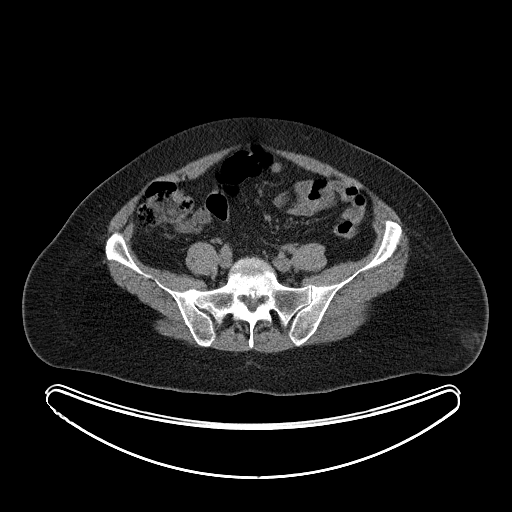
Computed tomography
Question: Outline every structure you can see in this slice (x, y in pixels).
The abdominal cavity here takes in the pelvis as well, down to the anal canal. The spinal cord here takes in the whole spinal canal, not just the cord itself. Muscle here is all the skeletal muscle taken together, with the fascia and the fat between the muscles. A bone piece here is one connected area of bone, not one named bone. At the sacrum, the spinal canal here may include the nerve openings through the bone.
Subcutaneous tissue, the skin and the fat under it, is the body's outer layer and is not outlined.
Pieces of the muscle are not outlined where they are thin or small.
Answer: Outlines (x, y in pixels):
spinal cord: (241, 296) (245, 296) (247, 298) (250, 298) (251, 299) (258, 299) (259, 298) (261, 298) (263, 296) (265, 296) (266, 297) (266, 299) (265, 300) (264, 300) (263, 301) (258, 303) (254, 310) (250, 310) (249, 309) (249, 308) (248, 307) (246, 302) (240, 298) (240, 297)
abdominal cavity: (249, 144) (367, 191) (375, 232) (368, 253) (326, 267) (323, 244) (300, 244) (291, 263) (316, 273) (305, 276) (301, 286) (280, 282) (263, 258) (244, 256) (233, 262) (225, 283) (211, 289) (199, 278) (140, 260) (132, 246) (132, 214) (142, 192) (154, 182) (197, 178) with a hole at (200, 241) (202, 242) (206, 242) (210, 244) (214, 248) (217, 254) (217, 269) (216, 271) (212, 274) (209, 274) (208, 275) (205, 275) (204, 274) (196, 275) (194, 274) (187, 267) (186, 265) (185, 258) (186, 257) (187, 251) (189, 247) (192, 244) (196, 242) (199, 242)
torso: (237, 116) (283, 118) (325, 129) (389, 161) (432, 197) (478, 270) (487, 293) (487, 334) (479, 355) (467, 369) (447, 376) (412, 373) (324, 393) (218, 395) (148, 387) (54, 367) (36, 356) (22, 324) (24, 282) (38, 254) (76, 206) (103, 180) (153, 144) (188, 127)
bones: (388, 219) (402, 230) (397, 248) (343, 285) (299, 346) (274, 311) (256, 322) (251, 348) (249, 324) (230, 314) (212, 319) (215, 338) (200, 346) (167, 291) (105, 254) (119, 232) (142, 271) (181, 292) (224, 285) (244, 257) (269, 263) (283, 285) (327, 286) (372, 259), around a hole outlined by (241, 296) (245, 296) (247, 298) (250, 298) (251, 299) (258, 299) (259, 298) (261, 298) (263, 296) (265, 296) (266, 297) (266, 299) (265, 300) (264, 300) (263, 301) (258, 303) (254, 310) (250, 310) (249, 309) (249, 308) (248, 307) (246, 302) (240, 298) (240, 297)
muscle 1: (246, 140) (262, 141) (278, 149) (307, 155) (356, 178) (390, 206) (402, 221) (409, 240) (404, 276) (393, 289) (372, 300) (367, 319) (352, 334) (335, 341) (300, 346) (316, 331) (332, 299) (343, 286) (358, 274) (380, 265) (395, 252) (402, 238) (402, 227) (396, 221) (386, 219) (381, 241) (374, 255) (344, 279) (327, 285) (307, 283) (302, 286) (301, 283) (305, 277) (317, 273) (296, 269) (292, 263) (294, 250) (307, 243) (323, 245) (326, 268) (343, 262) (360, 260) (369, 253) (376, 238) (376, 232) (372, 227) (374, 203) (368, 191) (357, 184) (334, 175) (325, 175) (306, 169) (260, 144) (249, 143) (230, 150) (197, 177) (177, 181) (162, 179) (152, 182) (141, 192) (131, 214) (133, 224) (131, 246) (139, 260) (153, 268) (199, 279) (205, 284) (206, 289) (194, 287) (181, 291) (172, 289) (137, 265) (121, 232) (114, 231) (105, 240) (104, 254) (107, 260) (115, 261) (144, 278) (151, 279) (173, 298) (185, 325) (199, 347) (159, 333) (153, 326) (158, 314) (134, 294) (116, 284) (107, 272) (103, 263) (104, 235) (107, 226) (115, 213) (148, 180) (174, 171) (204, 155)
muscle 2: (272, 312) (276, 314) (281, 326) (286, 327) (290, 322) (287, 334) (295, 347) (269, 353) (254, 350) (234, 352) (209, 347) (216, 338) (213, 319) (221, 324) (225, 317) (230, 315) (235, 321) (246, 322) (247, 343) (251, 349) (254, 346) (254, 328) (257, 322) (271, 323)
muscle 3: (200, 241) (202, 242) (206, 242) (210, 244) (214, 248) (217, 254) (217, 269) (216, 271) (212, 274) (209, 274) (208, 275) (205, 275) (204, 274) (196, 275) (194, 274) (187, 267) (186, 265) (185, 258) (186, 257) (187, 251) (189, 247) (192, 244) (196, 242) (199, 242)